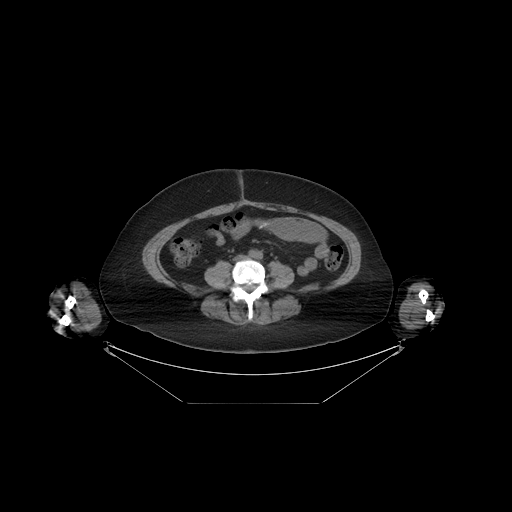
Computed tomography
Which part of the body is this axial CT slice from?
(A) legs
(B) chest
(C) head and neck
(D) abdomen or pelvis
Answer: (D) abdomen or pelvis
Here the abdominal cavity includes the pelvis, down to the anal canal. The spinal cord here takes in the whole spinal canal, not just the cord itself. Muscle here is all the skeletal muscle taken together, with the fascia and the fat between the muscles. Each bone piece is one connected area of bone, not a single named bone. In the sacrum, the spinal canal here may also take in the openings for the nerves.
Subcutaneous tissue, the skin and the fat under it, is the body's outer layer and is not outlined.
muscle 1: (241, 197) (252, 201) (290, 205) (329, 217) (344, 225) (355, 234) (360, 243) (361, 262) (358, 273) (348, 283) (310, 297) (297, 315) (283, 321) (261, 326) (248, 324) (241, 327) (204, 316) (189, 295) (156, 281) (146, 271) (141, 259) (142, 250) (149, 239) (167, 225), around a hole outlined by (242, 206) (299, 214) (319, 222) (344, 243) (345, 267) (328, 282) (296, 287) (294, 270) (270, 260) (264, 267) (269, 290) (253, 302) (250, 320) (247, 304) (232, 298) (231, 262) (219, 259) (208, 266) (203, 272) (205, 285) (176, 279) (161, 263) (164, 245) (190, 222)
muscle 2: (71, 281) (81, 282) (90, 291) (90, 295) (99, 306) (101, 313) (101, 322) (97, 327) (90, 331) (58, 329) (58, 323) (59, 325) (68, 326) (71, 323) (71, 318) (66, 312) (58, 318) (57, 321) (51, 315) (51, 307) (53, 303) (54, 293) (60, 287) (64, 288), around a hole outlined by (69, 295) (71, 295) (72, 296) (73, 296) (75, 298) (75, 300) (76, 301) (76, 302) (73, 305) (73, 306) (71, 308) (70, 308) (69, 309) (68, 308) (66, 308) (65, 307) (65, 303) (64, 302) (65, 301) (65, 300) (67, 298) (67, 297)
muscle 3: (415, 282) (427, 282) (431, 285) (435, 290) (435, 293) (437, 298) (442, 303) (443, 308) (441, 314) (435, 319) (435, 321) (432, 325) (427, 327) (420, 327) (415, 329) (407, 329) (400, 323) (398, 312) (399, 311) (399, 307) (401, 302) (406, 297) (407, 288) (411, 284), around holes outlined by (421, 289) (425, 289) (427, 291) (427, 292) (428, 293) (428, 297) (426, 299) (426, 301) (425, 302) (425, 303) (424, 304) (423, 304) (422, 303) (422, 302) (421, 301) (421, 300) (420, 299) (420, 298) (419, 297) (419, 296) (418, 295) (418, 293) (419, 292) (419, 291) and by (427, 309) (429, 309) (430, 310) (431, 310) (432, 311) (432, 312) (434, 314) (434, 315) (435, 316) (435, 317) (434, 318) (434, 319) (432, 319) (430, 321) (426, 321) (426, 320) (425, 319) (425, 316) (426, 315) (426, 311) (427, 310)
left arm: (414, 274) (427, 274) (434, 278) (444, 298) (447, 311) (440, 323) (431, 331) (428, 331) (413, 338) (409, 338) (406, 341) (401, 340) (399, 342) (390, 328) (387, 321) (387, 316) (389, 312) (391, 312) (394, 308) (394, 296) (397, 294) (397, 290) (400, 283) (404, 279)
bones 1: (247, 258) (256, 260) (264, 266) (264, 280) (269, 289) (266, 293) (253, 302) (253, 312) (252, 318) (250, 320) (248, 319) (247, 304) (243, 300) (239, 300) (236, 302) (234, 301) (232, 298) (232, 293) (230, 291) (230, 288) (234, 283) (231, 273) (234, 264) (239, 260); inner edge: (243, 284) (255, 284) (256, 285) (256, 286) (255, 287) (255, 288) (252, 291) (251, 291) (250, 292) (248, 292) (247, 291) (246, 291) (242, 287) (242, 285)
bones 2: (69, 295) (71, 295) (72, 296) (73, 296) (75, 298) (75, 300) (76, 301) (76, 302) (73, 305) (73, 306) (71, 308) (70, 308) (69, 309) (68, 308) (66, 308) (65, 307) (65, 303) (64, 302) (65, 301) (65, 300) (67, 298) (67, 297)
bones 3: (421, 289) (425, 289) (427, 291) (427, 292) (428, 293) (428, 297) (426, 299) (426, 301) (425, 302) (425, 303) (424, 304) (423, 304) (422, 303) (422, 302) (421, 301) (421, 300) (420, 299) (420, 298) (419, 297) (419, 296) (418, 295) (418, 293) (419, 292) (419, 291)
bones 4: (65, 313) (66, 313) (68, 315) (68, 316) (70, 318) (70, 323) (68, 325) (64, 325) (63, 324) (59, 324) (59, 323) (58, 322) (58, 319) (59, 319)
bones 5: (427, 309) (429, 309) (430, 310) (431, 310) (432, 311) (432, 312) (434, 314) (434, 315) (435, 316) (435, 317) (434, 318) (434, 319) (432, 319) (430, 321) (426, 321) (426, 320) (425, 319) (425, 316) (426, 315) (426, 311) (427, 310)
right arm: (71, 274) (81, 275) (90, 280) (94, 284) (97, 295) (110, 317) (107, 329) (103, 334) (96, 338) (92, 337) (87, 337) (86, 338) (69, 338) (63, 336) (54, 331) (51, 326) (50, 321) (46, 316) (46, 308) (45, 307) (50, 292) (61, 279) (65, 278)
spinal cord: (243, 284) (255, 284) (256, 285) (256, 286) (255, 287) (255, 288) (252, 291) (251, 291) (250, 292) (248, 292) (247, 291) (246, 291) (242, 287) (242, 285)
torso: (222, 167) (286, 172) (323, 184) (347, 198) (360, 211) (371, 228) (392, 274) (393, 303) (390, 305) (386, 319) (352, 337) (334, 343) (286, 352) (236, 354) (182, 346) (125, 325) (111, 317) (95, 285) (98, 284) (104, 259) (125, 222) (154, 194) (174, 181) (196, 172)
abdominal cavity: (242, 206) (299, 214) (319, 222) (344, 243) (347, 250) (345, 267) (328, 282) (312, 281) (296, 287) (292, 285) (295, 272) (288, 264) (272, 259) (265, 266) (247, 257) (233, 265) (219, 259) (208, 266) (203, 272) (205, 285) (176, 279) (161, 263) (164, 245) (190, 222)